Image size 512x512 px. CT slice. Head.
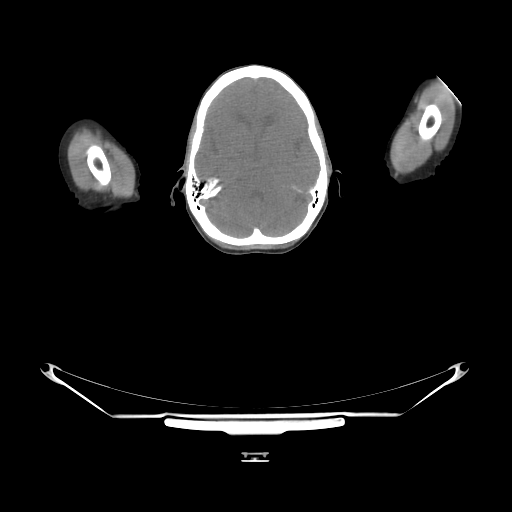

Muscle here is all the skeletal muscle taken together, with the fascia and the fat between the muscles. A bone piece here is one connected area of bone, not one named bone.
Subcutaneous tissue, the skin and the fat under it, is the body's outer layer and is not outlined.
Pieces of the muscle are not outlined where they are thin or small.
{"bones":[{"outer":[[253,64],[268,66],[287,74],[309,98],[316,116],[316,129],[325,152],[328,187],[319,212],[310,227],[300,238],[277,244],[234,245],[212,238],[205,233],[190,210],[186,200],[184,184],[188,169],[191,141],[195,131],[195,114],[201,98],[222,74]],"hole":[[243,78],[273,80],[293,98],[305,118],[307,137],[317,157],[318,171],[307,188],[310,199],[305,213],[291,229],[280,234],[268,234],[256,226],[246,235],[228,233],[211,220],[202,203],[223,188],[218,177],[200,177],[195,167],[207,112],[226,87]]},[[92,144],[96,144],[101,147],[105,154],[105,156],[109,164],[109,167],[110,168],[110,171],[111,172],[111,179],[109,183],[107,185],[105,185],[104,186],[101,185],[94,177],[90,171],[87,164],[87,156],[86,155],[86,150],[89,147],[89,146]],[[432,103],[435,104],[438,107],[441,113],[442,119],[441,120],[440,126],[433,137],[428,141],[423,141],[421,140],[419,137],[419,134],[418,133],[418,126],[419,125],[419,122],[421,119],[421,117],[424,111],[424,107],[426,105],[428,104],[431,104]]],"head":[[[252,63],[282,70],[303,88],[319,118],[332,165],[341,172],[337,176],[343,196],[338,196],[332,177],[329,202],[319,223],[298,247],[282,254],[220,252],[190,221],[184,197],[175,190],[175,204],[169,199],[182,174],[177,169],[202,92],[224,70]]],"left_arm":[[[429,75],[435,75],[439,77],[455,94],[460,102],[462,107],[462,119],[460,129],[452,150],[449,155],[436,168],[435,174],[433,176],[423,180],[413,181],[405,184],[398,184],[390,177],[383,158],[386,143],[393,128],[402,116],[416,86],[426,76]]],"right_arm":[[[81,116],[91,116],[101,122],[133,154],[139,164],[141,172],[139,186],[139,201],[127,203],[122,210],[104,214],[102,213],[102,210],[100,208],[86,210],[78,205],[76,199],[68,190],[62,177],[58,165],[57,152],[58,144],[64,130],[72,121]]],"muscle":[{"outer":[[433,81],[444,82],[450,89],[451,93],[455,98],[456,103],[455,121],[448,144],[443,151],[439,153],[435,153],[422,166],[413,172],[406,175],[397,175],[395,174],[390,162],[390,149],[394,136],[402,123],[413,109],[414,102],[417,96],[426,86]],"hole":[[432,103],[435,104],[438,107],[441,113],[442,119],[441,120],[440,126],[433,137],[428,141],[423,141],[421,140],[419,137],[419,134],[418,133],[418,126],[419,125],[419,122],[421,119],[421,117],[424,111],[424,107],[426,105],[428,104],[431,104]]},{"outer":[[83,124],[86,124],[92,127],[98,128],[105,137],[114,142],[131,160],[135,170],[134,194],[131,197],[128,197],[127,198],[103,198],[102,197],[93,196],[86,192],[81,191],[73,182],[70,173],[68,162],[67,161],[67,145],[70,136],[74,129]],"hole":[[92,144],[96,144],[101,147],[105,154],[105,156],[109,164],[109,167],[110,168],[110,171],[111,172],[111,179],[109,183],[107,185],[105,185],[104,186],[101,185],[94,177],[90,171],[87,164],[87,156],[86,155],[86,150],[89,147],[89,146]]},[[210,238],[234,246],[247,246],[254,244],[277,245],[278,244],[284,244],[291,241],[297,240],[293,244],[287,247],[279,248],[278,249],[259,249],[258,248],[254,248],[253,249],[246,249],[245,250],[234,250],[233,249],[224,248],[214,242]]],"brain":[[[243,78],[273,80],[293,98],[305,118],[307,137],[317,157],[318,171],[307,188],[310,199],[305,213],[291,229],[280,234],[268,234],[256,226],[246,235],[228,233],[211,220],[202,203],[223,188],[218,177],[200,177],[195,167],[207,112],[226,87]]]}